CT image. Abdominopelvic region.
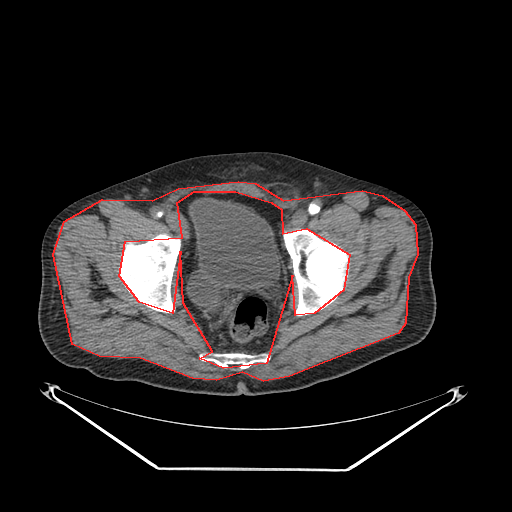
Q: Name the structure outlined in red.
A: red: muscle.
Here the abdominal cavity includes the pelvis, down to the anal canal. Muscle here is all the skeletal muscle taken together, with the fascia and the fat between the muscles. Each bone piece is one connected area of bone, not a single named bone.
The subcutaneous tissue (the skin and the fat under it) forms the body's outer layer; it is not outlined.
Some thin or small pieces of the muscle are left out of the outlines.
{"muscle":[{"outer":[[238,181],[255,183],[283,200],[362,190],[382,195],[404,210],[415,224],[417,254],[408,277],[405,323],[398,333],[289,376],[263,381],[242,372],[216,380],[192,378],[140,358],[99,356],[72,344],[53,254],[64,221],[102,199],[152,200],[178,188]],"hole":[[194,191],[235,191],[271,202],[281,209],[282,233],[306,228],[349,254],[343,290],[314,313],[295,315],[292,275],[266,363],[223,368],[199,358],[212,351],[183,303],[180,251],[172,313],[139,302],[119,276],[125,241],[182,237],[177,202]]}],"abdominal_cavity":[[[194,191],[204,194],[225,194],[235,191],[240,195],[271,202],[281,209],[280,231],[283,245],[290,258],[288,266],[292,274],[292,286],[288,307],[274,331],[274,341],[265,351],[212,351],[195,314],[183,303],[178,285],[182,263],[183,214],[177,202]]],"bones":[[[298,228],[306,228],[312,231],[320,238],[338,244],[349,254],[350,257],[349,274],[344,284],[343,290],[330,304],[321,310],[302,316],[297,316],[295,315],[294,312],[298,301],[297,283],[293,274],[292,261],[282,238],[282,233],[284,230],[290,231]],[[160,233],[166,233],[174,237],[179,237],[181,239],[181,247],[177,256],[171,281],[171,297],[176,307],[175,311],[172,313],[164,313],[156,311],[139,302],[124,286],[118,271],[118,267],[123,251],[122,245],[125,241],[132,240],[136,243],[143,243]],[[202,352],[215,352],[216,353],[239,352],[247,354],[257,354],[262,352],[266,352],[270,354],[271,358],[266,363],[254,362],[248,368],[245,369],[239,369],[236,364],[229,364],[227,368],[223,368],[212,361],[207,361],[206,362],[202,361],[198,356]]],"torso":[[[249,151],[291,155],[385,186],[421,209],[432,232],[431,273],[436,296],[435,319],[425,338],[345,375],[297,390],[260,395],[189,393],[132,380],[116,381],[55,359],[41,339],[37,321],[40,249],[51,220],[63,208],[90,193],[160,166],[194,156]]]}